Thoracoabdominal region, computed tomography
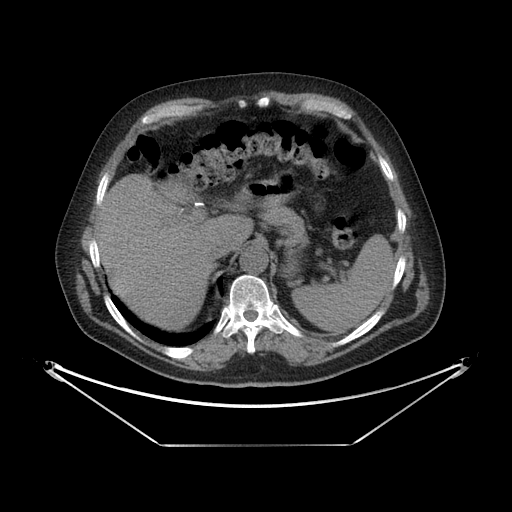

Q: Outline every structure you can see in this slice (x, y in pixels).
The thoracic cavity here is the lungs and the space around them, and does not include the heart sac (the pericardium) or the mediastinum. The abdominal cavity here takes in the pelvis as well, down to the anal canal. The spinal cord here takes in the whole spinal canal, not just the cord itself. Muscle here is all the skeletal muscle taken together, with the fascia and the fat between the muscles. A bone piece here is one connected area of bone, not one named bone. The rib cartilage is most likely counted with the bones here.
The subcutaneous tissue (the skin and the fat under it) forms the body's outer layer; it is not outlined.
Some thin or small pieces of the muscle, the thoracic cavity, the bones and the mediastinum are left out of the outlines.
A: Outlined structures:
torso: (260, 71) (294, 72) (339, 81) (366, 95) (390, 119) (408, 151) (440, 235) (446, 270) (443, 306) (437, 322) (421, 339) (370, 364) (320, 382) (225, 388) (176, 381) (149, 371) (95, 342) (78, 327) (56, 273) (57, 233) (96, 139) (125, 103) (148, 90) (178, 81)
mediastinum 1: (250, 244) (259, 244) (263, 246) (267, 251) (269, 256) (269, 271) (267, 276) (273, 295) (273, 301) (268, 285) (261, 277) (254, 274) (242, 273) (231, 281) (227, 292) (227, 303) (225, 304) (226, 292) (223, 283) (224, 275) (232, 267) (236, 256) (242, 248) (245, 248)
mediastinum 2: (340, 119) (342, 119) (343, 120) (345, 120) (346, 121) (347, 121) (348, 122) (351, 123) (355, 127) (355, 128) (359, 132) (359, 133) (361, 135) (361, 136) (360, 135) (359, 135) (355, 131) (352, 130) (349, 127) (348, 127) (345, 124) (344, 124) (340, 120)
thoracic cavity: (110, 294) (114, 295) (138, 320) (144, 324) (147, 324) (154, 328) (170, 334) (183, 334) (184, 333) (194, 332) (201, 328) (208, 322) (218, 317) (218, 319) (211, 331) (197, 341) (189, 345) (184, 345) (183, 346) (164, 345) (151, 339) (130, 325) (115, 305) (111, 298)
bones 1: (242, 274) (257, 276) (265, 282) (272, 301) (278, 305) (286, 320) (303, 333) (302, 337) (295, 336) (286, 330) (275, 333) (263, 327) (254, 338) (255, 351) (248, 353) (247, 336) (241, 329) (227, 338) (222, 335) (221, 331) (213, 333) (220, 312) (228, 303) (230, 285); inner edge: (246, 310) (254, 310) (255, 311) (256, 311) (256, 312) (257, 313) (257, 316) (255, 318) (255, 319) (254, 319) (253, 320) (252, 320) (251, 321) (250, 321) (249, 320) (248, 320) (246, 318) (245, 318) (245, 317) (244, 316) (244, 312)
bones 2: (171, 104) (186, 104) (187, 105) (198, 105) (200, 104) (203, 106) (203, 108) (200, 111) (197, 111) (192, 115) (172, 116) (171, 117) (161, 118) (159, 119) (158, 121) (156, 121) (146, 125) (141, 125) (141, 119) (143, 116) (150, 114) (163, 106) (166, 106)
bones 3: (307, 98) (315, 98) (316, 99) (320, 99) (321, 100) (325, 100) (326, 101) (333, 102) (337, 105) (341, 106) (347, 111) (350, 112) (352, 116) (350, 119) (346, 120) (325, 111) (302, 111) (300, 109) (300, 103) (303, 100)
bones 4: (379, 309) (383, 309) (384, 310) (384, 313) (381, 316) (376, 324) (367, 332) (361, 335) (359, 337) (343, 345) (340, 345) (339, 346) (334, 347) (330, 344) (331, 342) (336, 341) (342, 338) (344, 336) (347, 335) (354, 329) (357, 328)
bones 5: (105, 293) (109, 294) (110, 298) (113, 302) (114, 305) (117, 308) (117, 309) (122, 315) (122, 316) (126, 320) (132, 330) (142, 339) (143, 342) (141, 342) (137, 340) (134, 337) (133, 337) (121, 326) (120, 326) (113, 318) (113, 317) (108, 311) (104, 303) (103, 295)
bones 6: (162, 346) (171, 346) (172, 347) (183, 347) (184, 346) (189, 346) (193, 349) (193, 351) (187, 356) (186, 356) (183, 358) (181, 358) (180, 359) (177, 359) (176, 358) (173, 358) (172, 357) (170, 357) (169, 356) (164, 354) (161, 351) (161, 350) (160, 349)
bones 7: (106, 172) (107, 172) (109, 175) (109, 181) (108, 182) (107, 187) (105, 190) (105, 192) (104, 193) (103, 198) (102, 199) (102, 200) (101, 201) (101, 203) (99, 206) (96, 204) (96, 192) (97, 191) (97, 187) (98, 186) (98, 184) (99, 183) (102, 176)
bones 8: (402, 255) (405, 257) (405, 267) (403, 271) (403, 274) (401, 277) (401, 279) (399, 281) (397, 285) (394, 288) (392, 288) (392, 282) (393, 281) (393, 277) (394, 276) (394, 272) (395, 271) (395, 268) (396, 267) (396, 265) (397, 264) (397, 262) (398, 261) (399, 257)
bones 9: (91, 239) (95, 239) (95, 240) (97, 243) (97, 249) (98, 250) (98, 253) (99, 254) (99, 263) (100, 264) (100, 267) (98, 267) (97, 268) (96, 268) (93, 265) (93, 264) (92, 263) (92, 261) (90, 258) (90, 255) (89, 254) (89, 241)
bones 10: (379, 154) (380, 155) (381, 155) (385, 159) (385, 160) (389, 165) (389, 166) (391, 169) (392, 174) (393, 175) (393, 180) (389, 180) (388, 179) (387, 179) (384, 175) (384, 174) (380, 167) (380, 165) (379, 164) (379, 162) (378, 161) (378, 157) (377, 156)
bones 11: (398, 208) (400, 208) (403, 211) (403, 212) (405, 214) (405, 217) (406, 218) (406, 224) (405, 225) (405, 229) (404, 230) (404, 231) (402, 233) (401, 233) (399, 231) (399, 230) (397, 228) (397, 218) (396, 217) (396, 210)
bones 12: (265, 95) (267, 95) (269, 97) (269, 98) (270, 99) (270, 101) (269, 102) (269, 104) (267, 106) (266, 106) (265, 107) (260, 107) (259, 106) (258, 106) (257, 105) (256, 105) (255, 104) (255, 102) (259, 98) (260, 98) (261, 97) (262, 97) (263, 96) (264, 96)
spinal cord: (246, 310) (254, 310) (255, 311) (256, 311) (256, 312) (257, 313) (257, 316) (255, 318) (255, 319) (254, 319) (253, 320) (252, 320) (251, 321) (250, 321) (249, 320) (248, 320) (246, 318) (245, 318) (245, 317) (244, 316) (244, 312)
abdominal cavity: (273, 103) (331, 114) (374, 151) (396, 218) (398, 258) (385, 299) (341, 337) (306, 332) (274, 302) (268, 251) (250, 243) (217, 279) (218, 293) (225, 292) (219, 316) (183, 333) (144, 323) (110, 293) (96, 240) (100, 206) (126, 148) (144, 126) (161, 119)
muscle: (263, 90) (274, 90) (285, 93) (313, 92) (335, 97) (345, 102) (362, 119) (374, 138) (384, 148) (385, 151) (389, 155) (392, 164) (397, 172) (399, 183) (402, 188) (406, 201) (408, 203) (408, 205) (411, 210) (413, 216) (411, 218) (411, 233) (413, 237) (412, 239) (412, 250) (415, 261) (416, 262) (417, 260) (419, 259) (420, 260) (427, 278) (427, 283) (429, 287) (428, 303) (424, 310) (410, 321) (394, 326) (382, 332) (369, 341) (345, 354) (315, 365) (295, 366) (285, 363) (281, 363) (276, 360) (270, 359) (264, 356) (260, 356) (257, 354) (248, 354) (228, 367) (224, 367) (215, 370) (200, 371) (199, 370) (192, 370) (183, 368) (154, 357) (144, 352) (113, 331) (97, 324) (85, 313) (79, 302) (76, 293) (76, 284) (75, 283) (76, 280) (76, 261) (78, 255) (79, 240) (81, 238) (86, 223) (86, 217) (90, 210) (91, 199) (92, 198) (92, 194) (96, 186) (96, 180) (102, 167) (107, 161) (118, 143) (124, 137) (132, 124) (145, 111) (154, 105) (171, 99) (177, 99) (184, 97) (198, 97) (199, 98) (209, 99) (213, 101) (218, 101) (237, 95) (252, 95), around a hole outlined by (265, 95) (270, 104) (292, 109) (315, 98) (351, 113) (347, 121) (385, 159) (393, 175) (387, 180) (389, 193) (395, 209) (406, 218) (404, 231) (397, 228) (395, 235) (397, 256) (405, 257) (403, 274) (379, 307) (384, 313) (376, 324) (343, 345) (330, 344) (340, 337) (303, 330) (298, 337) (263, 327) (254, 338) (255, 351) (248, 353) (241, 329) (227, 338) (212, 330) (189, 345) (193, 351) (187, 356) (170, 357) (161, 351) (163, 344) (131, 325) (143, 342) (128, 333) (104, 303) (103, 295) (110, 292) (102, 269) (93, 265) (89, 254) (89, 241) (98, 235) (98, 184) (106, 172) (110, 180) (114, 175) (126, 148) (144, 127) (143, 116) (171, 104) (200, 104) (203, 108) (194, 114) (209, 114) (240, 99) (254, 104)